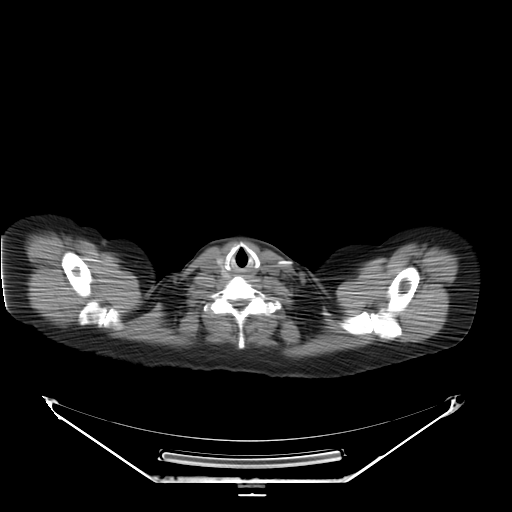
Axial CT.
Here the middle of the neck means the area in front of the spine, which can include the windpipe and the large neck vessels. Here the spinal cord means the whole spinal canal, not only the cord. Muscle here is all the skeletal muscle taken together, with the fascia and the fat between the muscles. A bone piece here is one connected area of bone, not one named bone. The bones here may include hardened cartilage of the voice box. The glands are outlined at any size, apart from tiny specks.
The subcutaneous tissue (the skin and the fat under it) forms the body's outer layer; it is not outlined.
The middle of the neck is outlined by 240,246 242,246 249,254 254,262 253,265 255,268 257,269 261,265 261,261 263,260 269,267 270,274 246,275 244,277 235,275 231,278 226,278 224,276 217,274 215,272 216,264 221,270 229,270 230,261. The muscle is outlined by 42,229 71,232 129,258 153,294 206,248 234,237 275,252 324,287 328,278 410,242 450,248 461,268 444,328 423,342 290,358 267,347 245,348 247,317 270,316 283,306 245,278 271,273 240,240 215,258 214,272 229,279 202,306 234,318 238,349 229,343 169,347 84,326 124,327 114,305 95,299 78,312 80,326 66,328 29,307 22,241, around holes outlined by 408,266 417,268 420,279 411,300 405,309 397,316 402,331 400,336 392,340 382,341 374,333 352,334 340,326 339,323 344,316 353,316 363,311 369,313 376,312 380,307 385,306 387,303 385,291 395,276 and by 67,251 74,252 80,256 82,258 83,261 87,265 91,273 91,275 93,278 93,281 90,285 91,287 91,293 90,295 87,297 82,297 80,296 72,288 64,272 64,270 61,265 61,259 64,253. The thyroid glands are outlined by 217,257 220,257 221,258 224,258 224,268 223,269 221,269 221,268 219,266 218,266 217,265 217,264 216,263 216,258. The torso appears in 2 outlined pieces: piece 1: 106,237 126,237 135,241 152,257 158,268 160,277 176,269 172,286 172,320 178,347 181,355 189,365 210,371 169,367 151,369 132,366 128,363 96,357 89,353 82,353 45,337 81,303 87,294 97,274; piece 2: 351,243 365,243 374,245 376,290 378,300 399,342 415,358 387,367 332,379 269,377 263,374 259,374 265,373 289,359 302,346 314,323 317,313 318,298 315,282 308,267 312,267 317,264 336,248. The bones appear in 5 outlined pieces: piece 1: 408,266 417,268 420,279 411,300 405,309 397,316 402,331 400,336 392,340 382,341 374,333 352,334 340,326 339,323 344,316 353,316 363,311 369,313 376,312 380,307 385,306 387,303 385,291 395,276; piece 2: 235,276 244,278 270,298 278,300 282,306 270,315 250,314 246,317 243,323 243,349 238,348 239,329 235,318 230,313 221,314 213,313 211,311 206,312 203,310 204,304 212,300 209,295 222,289 226,283; inner edge: 240,299 243,299 244,300 247,300 248,301 247,302 247,303 246,304 246,305 244,307 243,307 241,309 238,309 236,307 235,307 234,306 234,305 231,302 232,301 236,301 237,300 239,300; piece 3: 67,251 74,252 80,256 82,258 83,261 87,265 91,273 91,275 93,278 93,281 90,285 91,287 91,293 90,295 87,297 82,297 80,296 72,288 64,272 64,270 61,265 61,259 64,253; piece 4: 90,300 95,300 101,306 106,306 107,307 114,306 120,313 120,317 123,323 123,327 121,329 115,330 111,328 98,327 95,324 88,324 87,325 84,325 83,326 79,325 77,321 78,319 78,314 81,309; piece 5: 240,241 242,241 258,256 260,260 260,265 257,268 255,267 254,265 255,264 254,260 242,245 240,245 232,255 229,261 229,269 226,269 225,268 225,257 228,254 230,251 230,249 234,244 235,243 238,243. The spinal cord is outlined by 240,299 243,299 244,300 247,300 248,301 247,302 247,303 246,304 246,305 244,307 243,307 241,309 238,309 236,307 235,307 234,306 234,305 231,302 232,301 236,301 237,300 239,300. The right arm is outlined by 46,210 69,214 82,225 91,225 96,227 105,237 96,269 96,274 86,294 80,303 53,330 44,337 39,334 33,327 17,321 7,312 6,300 4,295 4,282 2,276 2,237 4,227 13,219 26,213. The head and neck is outlined by 229,236 245,237 267,241 273,244 294,260 307,266 316,290 316,313 313,323 301,346 279,365 258,374 231,372 226,370 211,371 189,364 182,355 174,326 173,286 176,270 187,262 205,243 217,238 225,238. The left arm is outlined by 425,222 441,222 449,224 459,228 471,239 475,245 480,259 481,283 474,319 469,331 464,338 453,347 442,350 434,354 428,354 416,358 400,342 379,300 377,290 375,245 380,244 390,235 402,228.